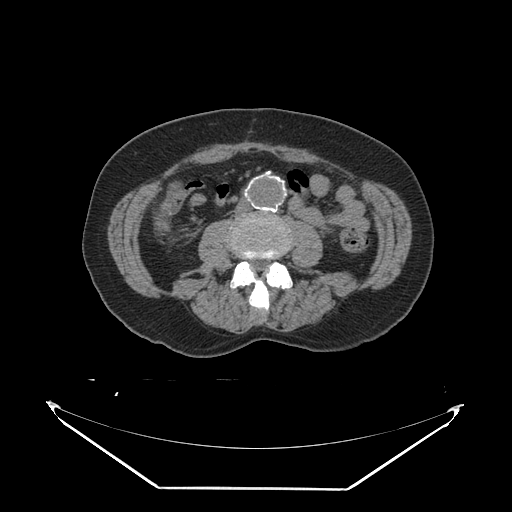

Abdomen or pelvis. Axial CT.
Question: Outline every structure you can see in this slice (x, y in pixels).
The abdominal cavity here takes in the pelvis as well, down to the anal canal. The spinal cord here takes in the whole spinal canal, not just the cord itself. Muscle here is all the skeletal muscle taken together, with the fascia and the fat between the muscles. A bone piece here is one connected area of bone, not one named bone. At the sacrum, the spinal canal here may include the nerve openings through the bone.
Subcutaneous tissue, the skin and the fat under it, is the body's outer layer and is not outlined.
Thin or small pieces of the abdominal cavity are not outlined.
Answer: Outlined structures:
muscle: [[244,140],[307,148],[396,190],[413,225],[410,248],[399,275],[380,290],[349,295],[317,324],[289,333],[262,325],[241,334],[220,333],[206,327],[179,301],[149,298],[135,292],[125,283],[108,246],[107,226],[116,203],[127,192],[189,152],[213,143]] with a hole at [[249,151],[337,173],[361,190],[377,232],[366,276],[314,267],[320,235],[286,215],[290,248],[279,261],[293,284],[268,288],[267,311],[250,305],[252,284],[230,287],[241,259],[229,245],[231,218],[205,227],[199,266],[157,284],[138,235],[161,184]]
torso: [[233,107],[276,107],[328,117],[384,142],[410,165],[433,221],[433,260],[420,296],[409,313],[387,333],[344,351],[316,352],[257,340],[226,354],[190,357],[138,336],[106,308],[91,281],[81,249],[92,189],[103,165],[125,142],[148,128],[194,113]]
abdominal cavity: [[249,151],[272,153],[288,162],[337,173],[361,190],[377,232],[377,249],[366,276],[314,267],[323,256],[324,246],[318,232],[304,221],[250,211],[208,224],[197,245],[201,264],[170,284],[157,284],[142,259],[138,235],[146,207],[161,184],[181,170]]
bones: [[250,212],[277,215],[289,229],[290,248],[279,258],[279,261],[287,267],[293,284],[284,289],[272,286],[268,288],[269,307],[267,311],[260,311],[250,305],[248,298],[253,289],[252,284],[230,287],[233,270],[241,259],[229,245],[229,227],[236,215]]; inner edge: [[253,259],[267,259],[268,260],[270,260],[271,261],[271,262],[267,266],[267,269],[266,269],[265,270],[264,270],[261,272],[257,272],[256,271],[255,271],[253,269],[252,269],[252,268],[251,267],[251,264],[249,262],[249,261],[250,260],[252,260]]
spinal cord: [[253,259],[267,259],[268,260],[270,260],[271,261],[271,262],[267,266],[267,269],[266,269],[265,270],[264,270],[261,272],[257,272],[256,271],[255,271],[253,269],[252,269],[252,268],[251,267],[251,264],[249,262],[249,261],[250,260],[252,260]]